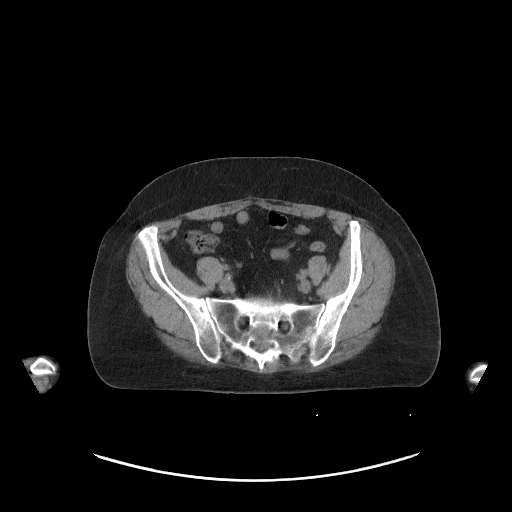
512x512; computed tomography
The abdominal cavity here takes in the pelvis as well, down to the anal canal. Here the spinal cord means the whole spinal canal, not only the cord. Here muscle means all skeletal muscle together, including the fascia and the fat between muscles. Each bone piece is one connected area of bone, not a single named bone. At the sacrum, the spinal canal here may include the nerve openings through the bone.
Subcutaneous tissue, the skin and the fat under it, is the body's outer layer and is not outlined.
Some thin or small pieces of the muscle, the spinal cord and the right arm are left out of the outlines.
The left arm is outlined by 479 360; 485 360; 487 362; 485 364; 485 366; 481 368; 481 374; 480 372; 479 373; 479 378; 475 384; 475 387; 473 390; 470 392; 468 390; 465 384; 465 381; 464 380; 464 373; 465 372; 465 370; 470 364; 475 361; 478 361. The torso is outlined by 228 156; 300 156; 335 164; 372 185; 402 216; 424 253; 438 300; 441 348; 436 369; 425 384; 417 387; 327 390; 293 394; 224 394; 120 389; 109 386; 99 378; 89 355; 86 313; 91 275; 104 233; 136 193; 154 178; 184 164. The bones appear in 3 outlined pieces: piece 1: 350 220; 361 227; 362 273; 340 321; 335 346; 316 366; 306 351; 294 363; 281 354; 261 370; 253 358; 227 345; 216 363; 208 361; 196 345; 186 313; 152 276; 137 238; 144 226; 157 226; 165 273; 186 295; 318 304; 347 286, around holes outlined by 252 342; 253 342; 254 343; 255 342; 256 342; 257 343; 258 343; 259 342; 260 343; 262 343; 263 344; 268 344; 269 345; 270 344; 271 344; 272 345; 272 346; 271 347; 269 347; 263 352; 259 352; 251 346; 251 343 and by 244 316; 247 316; 248 317; 248 325; 245 328; 244 328; 243 329; 241 329; 239 327; 239 319; 241 317; 243 317 and by 280 321; 286 321; 287 322; 288 322; 290 324; 290 327; 288 329; 288 331; 287 332; 282 332; 281 331; 281 330; 280 329; 280 327; 279 326; 279 322; piece 2: 38 357; 43 357; 44 358; 45 358; 46 359; 47 359; 48 360; 51 361; 54 364; 54 365; 56 368; 56 371; 55 372; 55 373; 54 373; 53 374; 43 374; 42 375; 35 375; 33 373; 32 373; 32 372; 30 370; 30 365; piece 3: 482 364; 485 364; 485 366; 481 368; 481 374; 480 372; 479 373; 479 378; 477 382; 475 383; 474 382; 472 382; 470 381; 469 379; 469 375; 470 374; 470 372; 474 368. The abdominal cavity is outlined by 254 204; 308 219; 325 216; 332 228; 344 235; 332 267; 319 254; 307 261; 306 271; 317 286; 320 302; 209 296; 224 270; 216 257; 205 255; 196 261; 195 275; 202 284; 172 263; 163 243; 178 234; 183 220; 212 220. The right arm is outlined by 32 354; 48 354; 51 355; 57 360; 59 364; 60 367; 60 375; 58 381; 53 387; 45 393; 41 393; 38 390; 30 375; 30 372; 31 371; 30 370; 30 366; 29 365; 28 366; 28 370; 23 361; 23 357. The spinal cord appears in 2 outlined pieces: piece 1: 252 342; 253 342; 254 343; 255 342; 256 342; 257 343; 258 343; 259 342; 260 343; 262 343; 263 344; 268 344; 269 345; 270 344; 271 344; 272 345; 272 346; 271 347; 269 347; 263 352; 259 352; 251 346; 251 343; piece 2: 280 321; 286 321; 287 322; 288 322; 290 324; 290 327; 288 329; 288 331; 287 332; 282 332; 281 331; 281 330; 280 329; 280 327; 279 326; 279 322. The muscle appears in 3 outlined pieces: piece 1: 249 195; 313 204; 362 217; 386 244; 395 263; 393 290; 379 332; 360 353; 316 372; 263 374; 188 361; 157 337; 125 276; 130 244; 141 228; 136 238; 149 272; 185 313; 195 345; 208 362; 216 364; 223 346; 227 346; 253 359; 261 371; 281 355; 294 364; 306 352; 308 361; 316 367; 334 350; 341 321; 363 273; 362 227; 356 219; 347 222; 350 243; 346 286; 323 302; 308 274; 308 261; 323 256; 332 268; 345 235; 340 235; 325 215; 308 218; 255 203; 212 219; 185 218; 177 234; 162 243; 171 263; 201 285; 197 261; 205 256; 219 261; 222 275; 206 296; 186 294; 169 279; 160 252; 158 226; 147 224; piece 2: 30 372; 30 373; 32 375; 34 375; 35 376; 42 376; 43 375; 53 375; 54 374; 55 374; 54 375; 55 378; 45 388; 44 388; 41 390; 38 390; 38 389; 37 388; 36 385; 34 383; 34 382; 33 381; 33 380; 30 375; piece 3: 28 359; 35 359; 28 366; 28 370; 27 369; 27 368; 26 367; 26 366; 25 365; 25 364; 24 363.